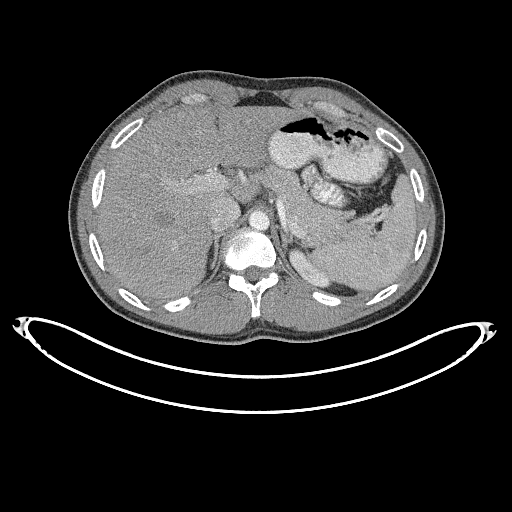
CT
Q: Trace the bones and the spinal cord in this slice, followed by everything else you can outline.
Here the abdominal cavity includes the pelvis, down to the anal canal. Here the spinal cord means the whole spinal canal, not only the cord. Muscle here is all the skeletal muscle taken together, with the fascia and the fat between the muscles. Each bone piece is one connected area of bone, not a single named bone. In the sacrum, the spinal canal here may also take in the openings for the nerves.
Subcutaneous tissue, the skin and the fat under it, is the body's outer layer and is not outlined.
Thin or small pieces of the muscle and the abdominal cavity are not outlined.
A: The bones appear in 13 outlined pieces: piece 1: (253, 318) (260, 315) (259, 305) (263, 291) (278, 281) (278, 274) (274, 270) (276, 252) (267, 235) (249, 227) (241, 227) (236, 230) (226, 242) (223, 252) (223, 261) (230, 270) (228, 279) (230, 287) (235, 290) (243, 291) (249, 297) (252, 306) (251, 316), around a hole outlined by (249, 281) (255, 281) (256, 280) (259, 279) (261, 277) (261, 276) (262, 275) (263, 275) (263, 270) (261, 268) (260, 268) (259, 267) (257, 267) (256, 266) (250, 266) (249, 267) (246, 268) (243, 271) (242, 271) (242, 274) (245, 277) (245, 278) (247, 280) (248, 280); piece 2: (112, 149) (115, 149) (117, 148) (120, 145) (121, 145) (121, 144) (123, 143) (123, 142) (125, 141) (135, 131) (136, 131) (142, 125) (144, 121) (144, 118) (143, 117) (137, 118) (131, 121) (125, 126) (124, 126) (112, 139) (111, 143) (110, 144) (110, 148); piece 3: (398, 153) (400, 153) (404, 150) (404, 146) (403, 144) (400, 141) (400, 140) (393, 133) (392, 133) (387, 129) (385, 129) (383, 127) (381, 127) (380, 126) (377, 126) (375, 128) (375, 133) (378, 139) (379, 139) (383, 143) (384, 143) (386, 145) (387, 145); piece 4: (94, 208) (96, 208) (98, 206) (101, 199) (101, 194) (102, 193) (102, 190) (103, 189) (103, 182) (104, 181) (104, 178) (105, 177) (105, 169) (104, 168) (101, 168) (98, 170) (93, 180) (92, 189) (91, 190) (91, 197) (92, 198) (92, 203) (93, 204) (93, 207); piece 5: (102, 270) (105, 270) (106, 269) (104, 265) (103, 256) (101, 253) (101, 250) (99, 247) (99, 244) (97, 241) (97, 239) (96, 238) (95, 234) (93, 232) (90, 232) (89, 233) (89, 245) (90, 246) (90, 249) (91, 250) (91, 252) (93, 255) (93, 257) (95, 261); piece 6: (419, 202) (422, 202) (423, 201) (423, 187) (421, 183) (421, 180) (420, 179) (420, 177) (417, 171) (413, 167) (412, 167) (410, 168) (409, 173) (410, 174) (411, 181) (412, 182) (412, 184) (414, 188) (414, 192) (415, 193) (415, 196) (416, 197) (416, 199); piece 7: (144, 310) (150, 310) (150, 308) (148, 306) (145, 305) (139, 298) (138, 298) (135, 295) (134, 295) (132, 293) (131, 293) (129, 291) (126, 290) (122, 287) (119, 287) (118, 288) (118, 292) (120, 294) (120, 295) (125, 300) (126, 300) (131, 304) (137, 307) (139, 307); piece 8: (169, 311) (177, 311) (178, 310) (181, 310) (182, 309) (183, 309) (191, 302) (191, 300) (190, 299) (190, 298) (188, 296) (183, 296) (180, 298) (178, 298) (177, 299) (175, 299) (174, 300) (170, 300) (169, 301) (164, 303) (163, 304) (163, 307) (165, 309) (166, 309); piece 9: (331, 306) (333, 306) (334, 305) (337, 305) (341, 303) (341, 300) (339, 298) (338, 298) (337, 296) (335, 296) (334, 295) (330, 295) (326, 293) (323, 293) (320, 291) (313, 291) (312, 292) (312, 296) (316, 300) (317, 300) (321, 303) (323, 303) (327, 305) (330, 305); piece 10: (366, 305) (369, 305) (370, 304) (375, 303) (380, 300) (382, 300) (384, 298) (390, 295) (393, 292) (394, 292) (395, 290) (398, 287) (398, 283) (394, 283) (384, 288) (382, 290) (378, 292) (365, 303); piece 11: (413, 261) (415, 261) (418, 259) (425, 245) (425, 242) (426, 241) (426, 230) (425, 228) (422, 228) (419, 231) (419, 233) (418, 234) (418, 237) (417, 238) (417, 240) (416, 241) (416, 244) (415, 245) (415, 248) (414, 249) (414, 256) (412, 260); piece 12: (337, 115) (346, 115) (346, 113) (344, 110) (343, 110) (341, 108) (339, 108) (337, 106) (331, 103) (327, 103) (323, 101) (317, 101) (316, 102) (313, 102) (312, 103) (315, 107) (319, 107) (322, 109) (327, 110); piece 13: (184, 103) (196, 103) (197, 102) (199, 102) (200, 101) (205, 101) (206, 100) (207, 100) (207, 99) (208, 98) (207, 97) (207, 96) (204, 94) (201, 94) (200, 93) (193, 93) (192, 94) (189, 94) (186, 96) (183, 96) (181, 98) (181, 100). The spinal cord is outlined by (249, 281) (255, 281) (256, 280) (259, 279) (261, 277) (261, 276) (262, 275) (263, 275) (263, 270) (261, 268) (260, 268) (259, 267) (257, 267) (256, 266) (250, 266) (249, 267) (246, 268) (243, 271) (242, 271) (242, 274) (245, 277) (245, 278) (247, 280) (248, 280). The muscle is outlined by (206, 334) (240, 331) (252, 318) (248, 297) (227, 283) (229, 270) (223, 264) (222, 255) (212, 277) (190, 293) (192, 302) (177, 312) (165, 310) (161, 303) (143, 301) (150, 311) (131, 305) (117, 292) (120, 286) (107, 268) (102, 271) (92, 257) (88, 233) (96, 232) (97, 208) (92, 207) (91, 184) (97, 170) (107, 168) (117, 149) (109, 148) (115, 134) (140, 116) (145, 121) (184, 105) (234, 103) (258, 92) (269, 92) (294, 107) (320, 115) (355, 119) (373, 130) (377, 125) (383, 126) (401, 140) (405, 150) (398, 155) (408, 170) (413, 166) (418, 171) (424, 187) (424, 201) (419, 203) (420, 229) (425, 227) (427, 230) (424, 250) (396, 282) (399, 283) (396, 291) (369, 306) (364, 303) (372, 296) (341, 299) (342, 303) (333, 307) (319, 303) (311, 296) (313, 288) (277, 258) (275, 270) (279, 281) (262, 294) (258, 317) (273, 325) (310, 332) (345, 324) (387, 306) (418, 280) (428, 262) (435, 233) (432, 194) (422, 161) (395, 128) (332, 88) (252, 89) (206, 78) (169, 86) (114, 128) (93, 158) (78, 198) (77, 228) (86, 263) (104, 292) (124, 308) (162, 324); inner edges: (337, 115) (346, 115) (346, 113) (344, 110) (343, 110) (341, 108) (339, 108) (337, 106) (331, 103) (327, 103) (323, 101) (317, 101) (316, 102) (313, 102) (312, 103) (315, 107) (319, 107) (322, 109) (327, 110), then (184, 103) (196, 103) (197, 102) (199, 102) (200, 101) (205, 101) (206, 100) (207, 100) (207, 99) (208, 98) (207, 97) (207, 96) (204, 94) (201, 94) (200, 93) (193, 93) (192, 94) (189, 94) (186, 96) (183, 96) (181, 98) (181, 100). The torso is outlined by (224, 345) (256, 339) (307, 343) (367, 328) (405, 309) (422, 292) (435, 270) (443, 245) (445, 211) (430, 162) (407, 130) (345, 82) (320, 76) (262, 78) (220, 70) (172, 75) (109, 123) (76, 173) (68, 202) (70, 240) (78, 266) (97, 297) (111, 311) (138, 325). The abdominal cavity is outlined by (162, 303) (207, 281) (225, 242) (241, 226) (267, 234) (277, 257) (315, 290) (350, 299) (375, 294) (395, 282) (413, 256) (420, 210) (408, 171) (364, 124) (294, 108) (269, 93) (234, 104) (184, 106) (150, 118) (118, 148) (106, 170) (96, 235) (118, 283) (144, 301).